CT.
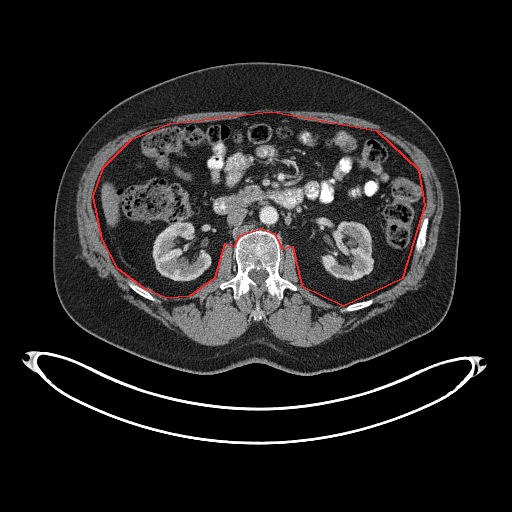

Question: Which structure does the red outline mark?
Answer: red: abdominal cavity.
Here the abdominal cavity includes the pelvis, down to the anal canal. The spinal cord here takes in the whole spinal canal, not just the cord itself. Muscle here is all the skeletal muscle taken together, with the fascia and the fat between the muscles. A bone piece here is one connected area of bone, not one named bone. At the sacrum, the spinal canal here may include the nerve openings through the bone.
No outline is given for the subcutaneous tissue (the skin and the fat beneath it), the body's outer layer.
Outlined structures:
abdominal cavity: 343 305; 403 277; 425 205; 419 170; 377 131; 271 112; 169 124; 130 140; 102 168; 92 196; 101 239; 116 267; 143 287; 166 297; 190 295; 215 277; 225 243; 234 246; 240 235; 261 228; 274 233; 281 248; 292 246; 301 285
muscle: 300 347; 309 347; 320 344; 331 339; 333 337; 335 337; 337 335; 342 334; 355 328; 363 322; 391 308; 394 304; 413 291; 424 278; 429 266; 429 262; 432 258; 436 248; 439 224; 443 211; 443 194; 441 185; 434 171; 434 169; 426 155; 418 147; 406 140; 393 130; 387 129; 375 123; 358 117; 332 112; 298 111; 297 110; 294 111; 293 110; 273 109; 272 108; 262 108; 247 111; 198 112; 197 113; 183 114; 173 117; 161 118; 142 123; 132 128; 127 132; 117 136; 101 147; 87 164; 86 168; 81 176; 76 195; 76 219; 77 220; 77 227; 78 228; 78 234; 81 246; 82 257; 87 262; 92 270; 117 293; 120 294; 124 299; 127 300; 131 304; 157 319; 160 323; 163 324; 169 329; 183 336; 186 336; 200 344; 209 346; 219 346; 229 343; 233 341; 234 339; 239 337; 255 321; 253 320; 250 313; 254 309; 255 303; 258 300; 260 304; 260 307; 265 314; 264 317; 260 321; 278 339; 285 341; 291 345 with a hole at 341 312; 369 306; 426 242; 421 174; 377 131; 271 112; 169 124; 102 168; 92 196; 100 236; 137 294; 160 302; 145 287; 194 293; 230 241; 237 272; 220 288; 236 300; 250 291; 280 300; 297 290; 278 272; 287 243; 299 283
bones 1: 236 300; 242 294; 250 291; 257 296; 266 291; 280 300; 283 298; 283 292; 286 288; 297 290; 293 283; 279 274; 280 243; 277 237; 267 230; 248 231; 235 242; 234 258; 237 272; 231 279; 220 283; 219 286; 221 289; 230 287; inner edge: 259 285; 260 285; 261 284; 263 284; 263 283; 264 282; 264 280; 267 277; 267 276; 268 275; 268 273; 264 269; 260 269; 259 270; 256 270; 255 269; 252 269; 249 272; 249 273; 248 274; 249 275; 249 276; 256 283; 257 283
bones 2: 418 256; 421 253; 425 245; 425 243; 426 242; 426 231; 427 230; 427 225; 428 224; 428 219; 427 218; 424 218; 420 225; 420 229; 419 230; 419 232; 418 233; 418 236; 417 237; 417 240; 416 241; 415 250
bones 3: 156 302; 160 302; 160 301; 158 299; 155 298; 149 292; 148 292; 141 286; 138 285; 133 280; 132 280; 130 278; 126 278; 126 281; 129 285; 129 286; 137 294; 140 295; 142 297; 146 299; 148 299; 152 301; 155 301
bones 4: 341 312; 350 312; 351 311; 355 311; 356 310; 359 310; 360 309; 365 308; 369 306; 373 302; 373 298; 370 298; 367 300; 363 300; 359 302; 356 302; 355 303; 350 304; 346 306; 344 308; 342 308; 340 310
bones 5: 254 320; 260 320; 263 317; 263 316; 264 315; 264 314; 263 313; 263 312; 259 307; 259 304; 258 303; 258 301; 257 301; 257 302; 256 303; 256 307; 255 308; 255 309; 251 313; 251 315; 253 317; 253 318; 254 319
spinal cord: 259 285; 260 285; 261 284; 263 284; 263 283; 264 282; 264 280; 267 277; 267 276; 268 275; 268 273; 264 269; 260 269; 259 270; 256 270; 255 269; 252 269; 249 272; 249 273; 248 274; 249 275; 249 276; 256 283; 257 283
torso: 299 375; 335 371; 379 356; 430 332; 445 317; 455 287; 461 206; 452 163; 436 134; 408 107; 370 86; 329 71; 278 62; 236 62; 194 70; 114 105; 80 139; 57 189; 52 269; 67 315; 99 339; 174 369; 213 374; 263 363